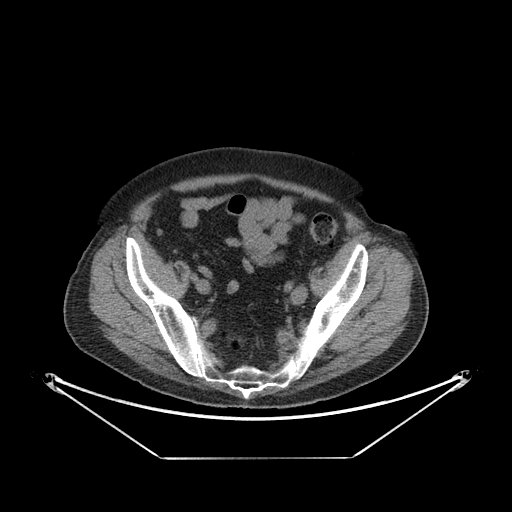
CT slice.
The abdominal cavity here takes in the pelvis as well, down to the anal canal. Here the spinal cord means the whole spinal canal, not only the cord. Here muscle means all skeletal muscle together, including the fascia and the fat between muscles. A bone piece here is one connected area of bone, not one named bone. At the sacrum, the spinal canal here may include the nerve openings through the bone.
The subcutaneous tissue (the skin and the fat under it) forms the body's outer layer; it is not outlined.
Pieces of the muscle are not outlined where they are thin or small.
The torso is outlined by [[218,146],[288,151],[338,166],[364,185],[363,201],[374,219],[411,238],[422,256],[429,313],[420,341],[400,364],[347,394],[313,404],[283,409],[220,408],[146,388],[74,344],[63,321],[64,295],[96,231],[95,220],[103,204],[145,169],[180,154]]. The abdominal cavity is outlined by [[249,180],[335,206],[345,219],[348,236],[324,265],[309,272],[310,289],[318,300],[296,343],[280,351],[266,369],[241,364],[222,370],[221,360],[199,335],[197,318],[180,302],[189,286],[188,265],[180,259],[165,261],[144,231],[154,203],[171,191]]. The muscle appears in 2 outlined pieces: piece 1: [[248,172],[308,186],[335,198],[360,218],[370,231],[402,252],[413,269],[408,322],[385,351],[343,374],[294,393],[249,399],[252,392],[267,387],[284,389],[293,380],[300,379],[364,289],[369,254],[360,242],[354,245],[338,278],[319,299],[315,299],[311,289],[310,272],[324,266],[349,236],[346,219],[335,205],[255,179],[195,190],[171,190],[162,195],[153,203],[143,233],[165,262],[180,260],[187,265],[188,286],[179,301],[149,276],[140,245],[132,236],[125,237],[124,259],[129,284],[148,306],[175,362],[187,374],[207,382],[224,383],[239,391],[243,398],[215,389],[186,385],[141,368],[102,335],[99,320],[88,302],[93,256],[125,221],[133,205],[188,178]]; piece 2: [[296,344],[296,349],[288,356],[287,359],[282,364],[282,365],[280,367],[279,367],[275,371],[269,371],[267,370],[268,368],[268,366],[270,362],[272,361],[275,361],[278,359],[280,352],[282,352],[283,351],[289,351]]. The bones are outlined by [[127,236],[139,245],[148,276],[196,318],[198,335],[222,371],[241,365],[269,372],[280,368],[297,349],[317,302],[339,278],[357,243],[367,250],[366,279],[303,375],[284,388],[252,391],[246,399],[226,383],[191,375],[176,362],[149,306],[130,284]]. The spinal cord is outlined by [[239,384],[249,384],[250,385],[256,385],[255,386],[249,386],[248,387],[244,387],[243,386],[241,386],[240,385],[239,385]].